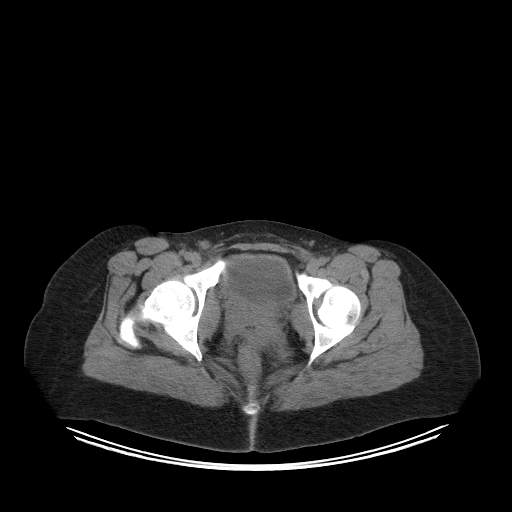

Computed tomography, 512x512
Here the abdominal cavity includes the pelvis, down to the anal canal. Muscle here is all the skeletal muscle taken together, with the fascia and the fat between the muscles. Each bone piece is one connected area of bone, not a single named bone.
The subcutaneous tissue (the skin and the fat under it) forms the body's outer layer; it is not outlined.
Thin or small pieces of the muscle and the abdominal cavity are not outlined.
{"muscle":[[[256,234],[274,234],[310,251],[366,244],[390,252],[400,267],[406,307],[420,334],[424,367],[418,377],[369,396],[301,410],[266,408],[255,417],[260,411],[255,384],[299,364],[306,357],[303,339],[291,321],[302,294],[313,329],[308,366],[354,330],[362,315],[362,304],[349,287],[296,269],[298,260],[290,253],[237,248],[226,250],[213,263],[195,272],[156,284],[136,313],[130,311],[120,319],[118,341],[139,348],[134,325],[147,320],[160,324],[200,362],[203,355],[198,326],[207,291],[215,287],[220,323],[204,350],[231,374],[249,383],[242,412],[232,403],[202,407],[83,374],[83,346],[102,307],[107,261],[112,255],[147,236],[163,237],[204,252],[221,240]]],"abdominal_cavity":[[[232,249],[290,254],[297,260],[294,276],[297,287],[302,293],[300,301],[293,306],[290,321],[302,339],[305,357],[297,364],[268,375],[261,383],[250,383],[238,378],[205,350],[221,323],[220,296],[215,286],[227,265],[227,261],[222,256],[226,251]]],"bones":[[[219,258],[226,261],[225,269],[217,283],[206,291],[197,326],[197,343],[202,355],[200,361],[170,336],[160,323],[147,319],[137,320],[133,325],[139,347],[133,348],[119,341],[121,319],[130,312],[136,314],[156,285],[176,276],[181,278],[195,273]],[[296,270],[300,272],[303,272],[310,276],[325,278],[334,284],[340,284],[349,288],[357,295],[361,304],[361,315],[353,330],[340,341],[317,356],[310,365],[308,365],[307,363],[310,353],[314,345],[314,329],[308,312],[306,298],[298,287],[295,276]],[[249,384],[254,384],[255,385],[255,398],[257,400],[257,401],[258,402],[258,404],[259,405],[259,411],[257,413],[256,413],[255,414],[253,414],[252,415],[248,415],[247,414],[244,413],[242,410],[242,407],[248,402],[248,389],[247,388],[247,387]]],"torso":[[[249,219],[284,222],[353,242],[364,238],[388,240],[420,257],[454,295],[478,343],[481,375],[458,411],[404,421],[351,439],[270,453],[216,451],[94,420],[59,418],[23,361],[27,328],[58,266],[88,239],[114,225],[139,223],[157,230],[185,232]]]}